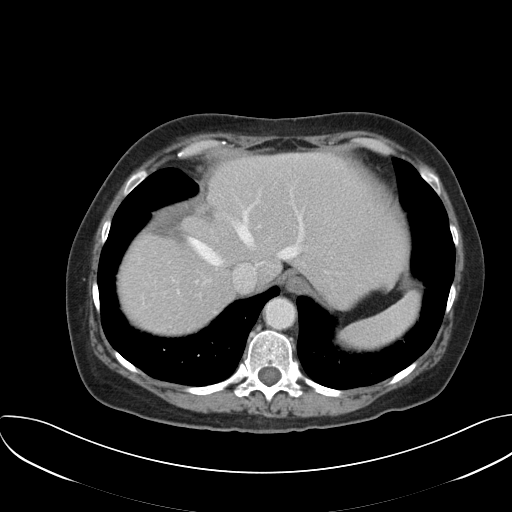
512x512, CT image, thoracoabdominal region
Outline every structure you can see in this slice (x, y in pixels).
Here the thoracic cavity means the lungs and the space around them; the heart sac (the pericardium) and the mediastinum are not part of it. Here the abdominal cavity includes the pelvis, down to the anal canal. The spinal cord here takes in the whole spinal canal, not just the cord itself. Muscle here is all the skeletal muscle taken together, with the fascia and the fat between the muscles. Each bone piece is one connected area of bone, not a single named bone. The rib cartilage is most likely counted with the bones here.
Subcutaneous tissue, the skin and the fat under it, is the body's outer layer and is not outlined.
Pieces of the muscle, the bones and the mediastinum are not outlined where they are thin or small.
{"spinal_cord":[[[266,367],[273,367],[274,368],[277,369],[280,373],[280,377],[279,378],[279,379],[271,385],[267,385],[266,384],[265,384],[262,381],[261,381],[261,380],[258,376],[258,374],[259,373],[260,370],[261,369],[262,369],[263,368],[265,368]]],"torso":[[[339,111],[387,115],[427,137],[450,164],[473,216],[484,257],[483,295],[469,342],[445,388],[424,403],[389,411],[369,421],[261,434],[168,425],[111,408],[95,399],[79,376],[71,349],[65,274],[79,224],[122,154],[152,128],[193,113],[282,118]]],"mediastinum":[[[280,289],[297,296],[296,297],[296,305],[298,313],[298,334],[296,340],[296,358],[294,357],[293,346],[290,339],[285,334],[274,329],[270,329],[269,328],[262,329],[248,340],[249,334],[256,322],[262,308],[268,300],[276,296],[280,292]],[[201,155],[202,155],[203,158],[201,161],[201,169],[198,175],[198,181],[197,183],[196,183],[191,177],[190,177],[180,168],[175,166],[171,166],[170,165],[166,165],[164,166],[174,160],[194,158],[195,157],[198,157]],[[359,147],[365,148],[372,152],[374,152],[382,156],[388,156],[389,155],[393,156],[391,158],[391,162],[393,166],[394,174],[395,175],[395,182],[397,186],[396,186],[396,185],[392,181],[392,180],[387,174],[387,173],[375,162],[374,162]]],"thoracic_cavity":[[[166,166],[185,173],[197,185],[197,191],[154,209],[123,252],[114,287],[119,311],[127,323],[152,336],[184,338],[206,328],[232,303],[279,288],[261,308],[235,370],[205,385],[166,381],[144,372],[112,346],[100,315],[98,267],[112,219],[141,182]],[[393,157],[417,170],[447,215],[454,273],[444,313],[429,346],[390,377],[347,389],[326,386],[307,376],[297,359],[298,296],[311,299],[333,318],[330,342],[339,353],[380,352],[403,340],[420,318],[426,286],[412,271],[413,236],[408,212],[399,199]]],"muscle":[[[349,130],[381,134],[418,156],[436,171],[446,188],[452,204],[462,235],[464,266],[452,330],[446,349],[436,364],[359,409],[334,416],[278,418],[245,412],[203,413],[178,407],[110,369],[95,355],[90,345],[87,308],[91,251],[104,213],[129,176],[122,191],[124,198],[112,218],[102,224],[97,277],[91,284],[93,305],[100,316],[104,335],[123,367],[133,373],[143,372],[162,381],[184,385],[183,391],[194,395],[208,395],[235,385],[233,393],[237,397],[259,391],[269,403],[280,391],[290,397],[299,397],[303,391],[298,381],[318,394],[340,397],[343,390],[371,386],[388,378],[387,383],[392,385],[411,373],[418,364],[416,359],[434,340],[457,293],[453,279],[459,234],[457,227],[449,222],[440,198],[440,179],[433,171],[423,165],[416,168],[392,155],[396,151],[380,139],[355,136],[349,140],[351,143],[332,145],[274,139],[248,147],[215,148],[194,157],[228,143],[225,139],[202,138],[179,149],[175,154],[177,159],[149,174],[144,168],[132,173],[159,150],[182,137],[202,132],[284,136]]],"abdominal_cavity":[[[274,140],[353,144],[397,187],[411,230],[411,271],[425,286],[419,318],[403,339],[377,352],[339,352],[331,342],[334,318],[311,298],[278,286],[232,302],[206,327],[184,337],[139,331],[120,311],[115,276],[124,252],[154,210],[198,191],[203,154]]],"bones":[{"outer":[[267,329],[289,339],[293,357],[307,377],[323,386],[342,390],[340,396],[318,393],[301,380],[297,381],[302,391],[299,396],[280,390],[269,402],[259,390],[237,396],[235,384],[208,394],[184,391],[187,386],[205,386],[228,378],[244,358],[248,341]],"hole":[[266,367],[273,367],[274,368],[277,369],[280,373],[280,377],[279,378],[279,379],[271,385],[267,385],[266,384],[265,384],[262,381],[261,381],[261,380],[258,376],[258,374],[259,373],[260,370],[261,369],[262,369],[263,368],[265,368]]},[[202,139],[217,139],[218,140],[225,140],[227,143],[225,145],[223,146],[219,146],[218,147],[209,148],[204,150],[201,153],[199,153],[196,155],[190,156],[186,158],[179,158],[177,156],[176,154],[179,150],[192,142],[194,142],[198,140],[201,140]],[[355,137],[370,137],[371,138],[374,138],[375,139],[380,140],[391,147],[395,151],[395,152],[393,154],[382,155],[379,153],[377,153],[374,151],[372,151],[365,147],[362,147],[361,146],[356,145],[354,143],[350,142],[350,140],[352,138],[354,138]],[[419,166],[423,166],[424,167],[427,168],[430,171],[433,172],[438,177],[438,178],[439,179],[439,184],[440,185],[440,190],[441,191],[440,196],[439,196],[434,191],[434,190],[422,178],[422,177],[420,175],[420,174],[417,169],[417,168]],[[142,169],[144,169],[146,170],[148,173],[148,175],[142,181],[141,181],[125,197],[123,196],[123,191],[124,190],[124,188],[125,187],[126,182],[128,180],[130,176],[132,174],[135,173],[137,171],[139,170],[141,170]],[[415,360],[417,361],[417,364],[411,372],[410,372],[406,376],[405,376],[400,380],[397,381],[395,383],[393,383],[392,384],[389,384],[388,383],[389,380],[392,376],[393,376],[396,373],[397,373],[399,371],[402,370],[404,368],[408,366]],[[114,350],[116,350],[123,357],[124,357],[128,361],[129,361],[132,364],[133,364],[137,368],[141,370],[142,372],[133,372],[129,370],[124,366],[123,366],[117,360],[117,359],[115,357],[114,355],[114,353],[113,352]],[[453,282],[455,285],[455,289],[456,290],[456,293],[455,294],[455,297],[454,298],[453,303],[452,304],[449,311],[446,314],[445,314],[445,308],[446,307],[446,303],[447,302],[447,298],[448,297],[448,294],[449,293],[449,290],[450,289],[451,284]],[[94,281],[96,281],[97,282],[97,287],[98,288],[98,293],[99,294],[99,306],[100,307],[100,310],[99,311],[99,313],[98,313],[97,312],[97,311],[95,308],[95,306],[94,305],[94,302],[93,301],[93,296],[92,295],[92,284]],[[107,219],[111,219],[111,223],[110,224],[110,228],[109,229],[109,232],[108,233],[108,235],[107,236],[107,238],[106,239],[105,242],[103,244],[103,245],[102,245],[101,244],[101,232],[102,231],[102,227],[103,226],[103,224],[104,223],[104,222]]]}